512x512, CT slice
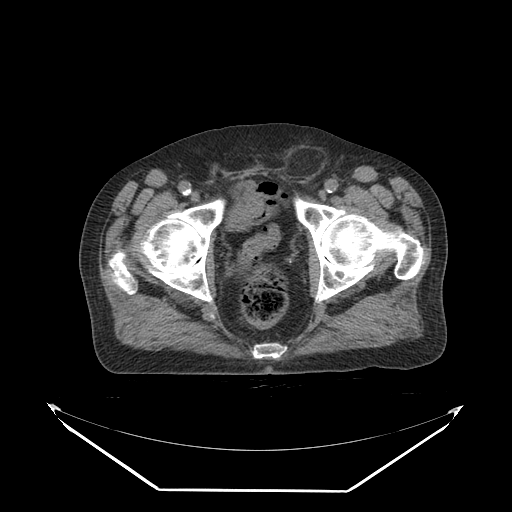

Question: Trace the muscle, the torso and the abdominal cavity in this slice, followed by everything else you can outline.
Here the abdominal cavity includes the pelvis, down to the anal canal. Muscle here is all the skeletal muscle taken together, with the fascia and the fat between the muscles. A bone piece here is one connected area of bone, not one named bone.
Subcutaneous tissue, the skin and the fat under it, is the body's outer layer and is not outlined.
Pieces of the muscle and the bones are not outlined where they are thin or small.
Answer: {"muscle":[{"outer":[[252,165],[283,167],[302,177],[308,177],[314,180],[334,177],[360,165],[382,165],[401,173],[416,189],[430,217],[431,259],[416,290],[417,307],[421,314],[425,329],[424,335],[411,341],[388,346],[331,353],[284,362],[248,362],[175,350],[147,351],[133,349],[121,344],[114,334],[111,307],[101,284],[98,269],[99,245],[103,225],[112,200],[121,185],[131,174],[151,166],[161,169],[175,180],[186,181],[214,172]],"holes":[[[257,176],[283,180],[291,184],[295,196],[365,216],[384,231],[400,226],[423,248],[418,273],[410,279],[396,278],[396,255],[382,250],[373,269],[356,283],[315,303],[320,264],[304,226],[310,297],[306,324],[296,335],[277,342],[287,346],[279,359],[254,358],[251,351],[256,342],[226,327],[215,300],[217,230],[211,232],[205,258],[213,303],[148,272],[140,242],[147,229],[170,212],[210,202],[222,196],[229,182]],[[117,250],[122,250],[126,254],[126,256],[124,259],[124,262],[125,263],[128,270],[137,280],[137,290],[133,294],[128,294],[112,281],[112,278],[111,277],[111,273],[112,272],[112,270],[108,264],[108,260],[112,256],[112,255],[117,251]]]}],"torso":[[[266,122],[314,126],[387,153],[415,169],[431,185],[442,205],[448,236],[443,280],[447,342],[442,355],[429,364],[411,369],[368,367],[343,372],[255,375],[118,374],[108,371],[93,348],[78,267],[81,232],[94,197],[118,170],[180,138],[212,128]]],"abdominal_cavity":[[[257,176],[277,178],[291,184],[294,193],[292,204],[295,216],[303,226],[307,240],[309,314],[303,329],[283,341],[256,343],[234,333],[226,327],[215,300],[217,294],[214,253],[217,235],[216,227],[223,219],[227,202],[222,196],[222,191],[229,182]]],"bones":[[[294,196],[365,216],[384,231],[393,231],[400,226],[406,233],[417,238],[423,248],[424,262],[418,273],[410,279],[396,278],[393,273],[397,260],[396,255],[393,251],[382,250],[374,258],[373,269],[356,283],[315,303],[320,264],[312,236],[296,216]],[[219,197],[224,198],[226,202],[222,219],[211,232],[205,258],[205,274],[209,291],[213,298],[213,303],[210,303],[173,288],[148,272],[144,266],[147,259],[140,251],[140,242],[147,229],[163,219],[170,212],[177,210],[181,211],[192,206],[204,204]],[[117,250],[122,250],[126,254],[126,256],[124,259],[124,262],[125,263],[128,270],[137,280],[137,290],[133,294],[128,294],[112,281],[112,278],[111,277],[111,273],[112,272],[112,270],[108,264],[108,260],[112,256],[112,255],[117,251]],[[263,342],[266,342],[267,343],[268,342],[277,342],[282,345],[286,345],[287,346],[287,349],[281,355],[279,359],[274,359],[271,357],[268,358],[263,357],[259,359],[256,359],[252,355],[251,352],[252,347],[253,345],[257,343],[262,343]]]}